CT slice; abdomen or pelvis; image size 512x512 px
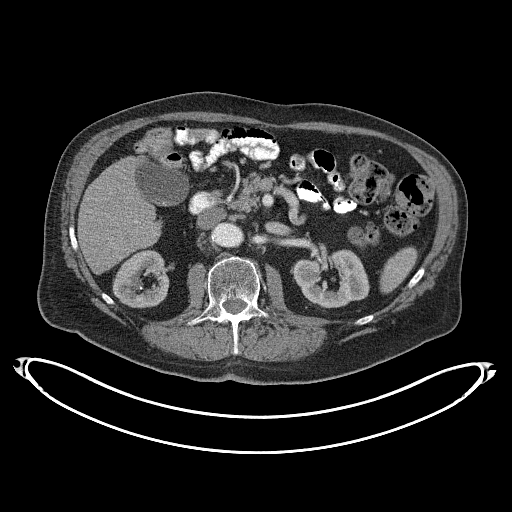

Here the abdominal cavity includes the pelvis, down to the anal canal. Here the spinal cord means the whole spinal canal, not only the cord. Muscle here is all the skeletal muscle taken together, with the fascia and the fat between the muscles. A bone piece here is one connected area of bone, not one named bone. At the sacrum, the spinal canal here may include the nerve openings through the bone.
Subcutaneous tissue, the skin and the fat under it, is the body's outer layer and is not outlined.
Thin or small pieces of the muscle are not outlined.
{"abdominal_cavity":[[[156,320],[187,306],[190,265],[200,261],[208,270],[230,255],[251,259],[260,274],[264,262],[275,267],[295,313],[344,320],[371,313],[401,291],[429,250],[437,223],[435,187],[403,148],[373,136],[194,120],[134,130],[96,161],[74,227],[103,291]]],"torso":[[[255,385],[313,383],[355,373],[456,327],[462,310],[461,270],[468,229],[467,195],[460,175],[438,149],[415,133],[375,115],[330,103],[280,104],[219,91],[194,91],[136,104],[92,122],[67,144],[51,183],[36,290],[42,318],[53,327],[162,373]]],"spinal_cord":[[[232,313],[236,313],[237,312],[238,312],[239,311],[240,311],[245,306],[245,303],[243,301],[242,301],[239,299],[229,299],[228,300],[227,300],[223,304],[223,305],[224,306],[224,307],[226,309],[226,310],[227,310],[229,312],[231,312]]],"bones":[{"outer":[[235,355],[239,353],[238,324],[242,320],[268,317],[269,314],[258,306],[261,285],[260,275],[254,263],[247,258],[230,256],[217,261],[209,269],[207,273],[209,303],[200,315],[188,320],[187,325],[204,320],[220,323],[229,321],[233,331],[232,352]],"hole":[[232,313],[236,313],[237,312],[238,312],[239,311],[240,311],[245,306],[245,303],[243,301],[242,301],[239,299],[229,299],[228,300],[227,300],[223,304],[223,305],[224,306],[224,307],[226,309],[226,310],[227,310],[229,312],[231,312]]},[[408,288],[411,288],[414,285],[415,285],[419,281],[419,280],[421,278],[421,277],[423,275],[423,273],[424,272],[424,268],[422,266],[421,266],[416,271],[416,272],[412,276],[412,277],[409,280],[409,281],[408,282],[408,283],[406,285],[406,286]],[[75,251],[76,251],[78,249],[78,248],[77,247],[77,241],[76,240],[76,239],[75,238],[75,233],[74,232],[74,228],[72,226],[70,226],[69,227],[69,237],[70,238],[70,243],[71,244],[71,246],[72,247],[72,248]],[[356,325],[362,325],[363,324],[365,324],[366,323],[367,323],[368,322],[369,322],[374,317],[374,315],[372,313],[371,314],[368,314],[365,316],[363,316],[362,317],[361,317],[360,318],[359,318],[358,319],[357,319],[354,322],[354,324],[355,324]],[[112,305],[113,304],[114,304],[115,303],[114,302],[114,301],[106,293],[105,293],[104,292],[102,292],[101,293],[101,296],[102,297],[102,298],[108,304],[111,304]]],"muscle":[[[259,362],[301,359],[376,331],[393,322],[405,308],[419,301],[434,286],[451,253],[458,229],[457,193],[443,164],[411,144],[372,129],[322,121],[277,124],[209,111],[179,111],[136,118],[92,136],[74,156],[61,193],[60,243],[67,268],[87,297],[100,310],[141,335],[151,345],[179,357],[199,361],[214,361],[234,355],[231,352],[232,331],[229,322],[220,324],[204,321],[192,326],[186,325],[186,321],[200,314],[208,303],[207,268],[203,264],[197,262],[188,270],[188,306],[168,320],[148,320],[117,304],[108,305],[101,298],[102,290],[91,276],[79,248],[75,252],[70,246],[68,227],[74,224],[76,206],[87,177],[97,158],[114,141],[134,129],[163,119],[239,121],[276,128],[359,133],[377,136],[403,147],[430,176],[438,195],[438,223],[432,246],[421,265],[425,272],[420,281],[411,289],[405,286],[391,302],[373,313],[375,317],[369,323],[356,326],[353,324],[356,319],[328,320],[292,312],[283,299],[279,272],[264,263],[259,306],[270,316],[252,318],[239,324],[240,353],[237,355]]]}